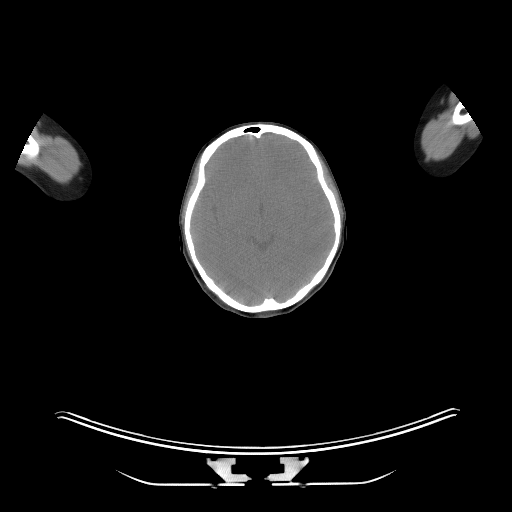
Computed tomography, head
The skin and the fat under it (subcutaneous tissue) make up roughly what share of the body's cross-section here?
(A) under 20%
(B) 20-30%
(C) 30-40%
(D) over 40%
Answer: (A) under 20%
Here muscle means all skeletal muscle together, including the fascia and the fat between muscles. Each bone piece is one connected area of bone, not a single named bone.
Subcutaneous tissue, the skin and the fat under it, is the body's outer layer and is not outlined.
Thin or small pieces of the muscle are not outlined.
Outlined structures:
left arm: 441 83; 445 84; 449 88; 469 113; 482 136; 482 141; 475 153; 456 172; 444 178; 435 178; 434 177; 431 177; 429 175; 426 174; 417 164; 413 152; 413 137; 414 136; 414 132; 415 131; 416 125; 425 104; 435 89
head: 249 121; 281 122; 295 128; 312 140; 319 147; 329 164; 341 193; 346 212; 347 248; 341 253; 327 282; 307 302; 293 312; 268 318; 247 318; 219 307; 202 291; 182 258; 179 247; 178 216; 180 204; 196 154; 203 144; 226 127
right arm: 44 113; 48 114; 62 125; 78 141; 86 152; 89 158; 93 173; 92 183; 87 193; 83 197; 75 201; 62 202; 52 199; 44 194; 28 179; 15 171; 15 167; 18 162; 23 147; 26 143; 28 137; 34 129; 38 120
bones 1: 252 123; 283 126; 301 135; 313 145; 321 162; 324 179; 335 196; 341 222; 339 244; 323 278; 297 302; 281 309; 262 312; 246 312; 236 309; 222 301; 207 287; 190 258; 183 230; 185 209; 197 182; 199 158; 203 150; 226 131, around a hole outlined by 265 133; 284 136; 303 148; 315 169; 316 180; 328 202; 334 234; 320 267; 292 295; 283 300; 269 296; 259 303; 247 304; 226 292; 209 275; 197 256; 191 221; 198 198; 207 182; 206 165; 217 149; 230 139; 241 136; 258 139
bones 2: 459 101; 461 102; 461 103; 464 106; 465 109; 469 113; 469 114; 471 116; 473 120; 471 120; 469 122; 467 122; 464 124; 457 125; 451 122; 451 118; 452 117; 452 115; 454 111; 454 108; 457 104; 457 103
bones 3: 31 133; 33 135; 34 138; 38 142; 38 143; 39 144; 39 153; 36 157; 35 157; 32 159; 29 159; 24 154; 20 154; 23 149; 23 147; 24 146; 24 145; 26 143; 26 142; 28 139; 28 137
brain: 265 133; 284 136; 303 148; 315 169; 316 180; 328 202; 334 234; 320 267; 292 295; 283 300; 269 296; 259 303; 247 304; 226 292; 209 275; 197 256; 191 221; 198 198; 207 182; 206 165; 217 149; 230 139; 241 136; 258 139
muscle 1: 449 90; 455 95; 458 100; 453 108; 450 122; 454 125; 460 126; 473 121; 478 129; 477 136; 473 139; 470 139; 457 148; 450 156; 445 159; 437 161; 434 160; 425 161; 424 155; 420 148; 420 136; 422 129; 431 117; 439 100
muscle 2: 37 123; 51 130; 55 134; 66 138; 76 149; 82 162; 82 167; 79 174; 68 184; 65 185; 59 184; 43 173; 32 169; 28 169; 20 165; 18 161; 20 155; 24 155; 29 160; 32 160; 36 158; 40 153; 40 144; 32 133
muscle 3: 319 155; 321 157; 328 170; 328 172; 336 188; 336 190; 340 200; 340 203; 342 208; 342 212; 343 213; 342 227; 340 210; 339 209; 339 206; 337 202; 337 199; 334 192; 329 187; 325 179; 324 170; 323 169; 322 162; 320 159
muscle 4: 198 160; 198 164; 197 165; 198 170; 197 171; 197 175; 196 176; 196 182; 190 195; 187 199; 187 201; 185 205; 185 208; 184 209; 184 216; 183 217; 183 226; 181 221; 182 220; 183 206; 184 205; 186 194; 191 182; 192 175